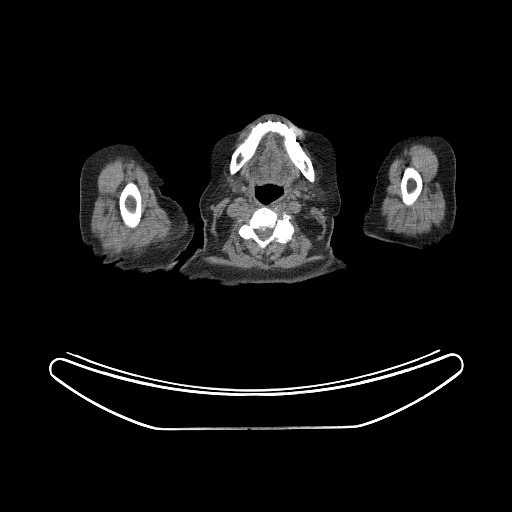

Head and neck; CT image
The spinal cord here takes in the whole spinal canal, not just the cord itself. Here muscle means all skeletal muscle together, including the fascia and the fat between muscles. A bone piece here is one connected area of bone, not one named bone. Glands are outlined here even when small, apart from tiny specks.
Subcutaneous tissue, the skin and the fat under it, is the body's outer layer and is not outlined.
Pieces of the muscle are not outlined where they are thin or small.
left arm: 422,132 435,132 440,134 450,143 454,151 456,159 456,215 452,231 438,243 422,249 399,243 391,243 389,245 380,243 379,241 364,236 361,231 361,224 364,212 372,200 379,166 392,145 398,139 409,134
spinal cord: 259,228 262,228 263,229 264,229 265,228 271,228 272,229 272,232 271,233 271,234 268,237 267,237 266,238 265,238 264,239 262,239 261,238 260,238 257,235 257,234 255,232 255,230 256,229 258,229
right arm: 121,141 133,143 141,149 164,181 160,191 179,202 195,223 192,238 180,254 178,263 169,271 139,273 123,271 115,268 112,263 104,265 102,259 94,257 91,248 81,239 78,216 79,179 83,163 96,149
bones 1: 269,119 272,121 278,120 284,126 287,125 295,134 296,140 312,163 314,171 313,182 309,181 302,174 290,158 284,144 284,138 278,133 271,131 261,138 252,156 234,174 230,173 229,166 233,152 256,124
bones 2: 262,206 266,206 275,210 280,217 283,212 291,216 290,222 293,225 294,231 290,240 285,243 274,240 265,248 260,248 252,238 244,239 240,236 238,230 242,222 239,221 239,219 244,221 247,220 257,208 with a hole at 259,228 262,228 263,229 264,229 265,228 271,228 272,229 272,232 271,233 271,234 268,237 267,237 266,238 265,238 264,239 262,239 261,238 260,238 257,235 257,234 255,232 255,230 256,229 258,229
bones 3: 128,182 133,182 135,183 141,195 141,208 142,209 141,217 140,218 139,223 137,225 137,226 134,228 130,228 126,226 124,224 122,220 122,218 120,215 120,210 119,209 119,197 120,196 122,189
bones 4: 408,166 413,167 420,174 421,179 422,180 422,187 421,188 421,191 414,203 412,205 410,205 409,206 406,205 402,200 402,198 401,197 401,186 400,185 401,184 401,179 402,178 404,170 406,167
head and neck: 266,113 281,114 294,124 323,134 333,144 341,205 334,218 330,244 334,254 344,259 349,267 297,283 224,286 209,279 188,281 179,275 178,270 184,260 203,242 199,199 210,180 212,147 223,135 241,130, around a hole outlined by 267,184 271,184 272,185 275,185 276,186 279,186 280,187 281,187 282,188 282,193 281,194 281,195 280,195 275,199 273,199 271,201 270,201 267,203 263,203 256,197 256,186 263,186 264,185 266,185
submandibular glands 1: 300,180 303,180 306,183 306,185 307,186 307,189 306,190 301,190 300,189 298,189 295,186 295,185
submandibular glands 2: 238,180 242,184 242,185 241,186 241,188 240,189 239,189 238,190 237,190 236,191 233,191 231,189 231,188 232,187 232,185 236,181 237,181
muscle 1: 268,117 277,117 289,122 303,132 313,146 328,191 326,227 321,244 324,257 288,269 264,270 209,264 203,260 210,253 212,233 208,203 220,182 229,147 247,128 255,124 230,156 228,171 231,175 234,175 253,156 262,138 271,132 283,138 287,154 301,174 309,182 315,181 313,163 297,140 296,134 287,124 284,125 278,119 269,118 260,121, around holes outlined by 262,206 266,206 275,210 280,217 283,212 291,216 290,222 293,225 294,231 290,240 285,243 274,240 265,248 260,248 252,238 244,239 240,236 238,230 242,222 239,221 239,219 244,221 247,220 257,208 and by 267,184 271,184 272,185 275,185 276,186 279,186 280,187 281,187 282,188 282,193 281,194 281,195 280,195 275,199 273,199 271,201 270,201 267,203 263,203 256,197 256,186 263,186 264,185 266,185 and by 300,180 303,180 306,183 306,185 307,186 307,189 306,190 301,190 300,189 298,189 295,186 295,185 and by 238,180 242,184 242,185 241,186 241,188 240,189 239,189 238,190 237,190 236,191 233,191 231,189 231,188 232,187 232,185 236,181 237,181
muscle 2: 113,155 123,155 130,157 138,162 147,172 149,183 155,193 159,205 166,211 173,222 172,235 164,247 155,247 137,257 107,256 100,251 98,242 90,230 90,222 94,201 97,195 98,173 102,166; inner edge: 128,182 133,182 135,183 141,195 141,208 142,209 141,217 140,218 139,223 137,225 137,226 134,228 130,228 126,226 124,224 122,220 122,218 120,215 120,210 119,209 119,197 120,196 122,189
muscle 3: 412,143 426,144 430,146 436,153 440,164 440,184 446,204 445,217 441,225 434,226 428,233 418,234 414,236 406,235 403,233 396,233 394,231 390,232 386,230 383,227 379,217 383,188 389,166 401,149, around a hole outlined by 408,166 413,167 420,174 421,179 422,180 422,187 421,188 421,191 414,203 412,205 410,205 409,206 406,205 402,200 402,198 401,197 401,186 400,185 401,184 401,179 402,178 404,170 406,167